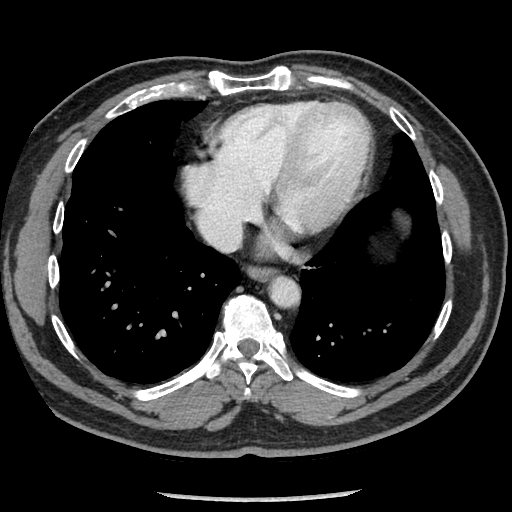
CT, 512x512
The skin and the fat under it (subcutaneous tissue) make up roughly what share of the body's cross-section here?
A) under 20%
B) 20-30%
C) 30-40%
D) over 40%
A) under 20%
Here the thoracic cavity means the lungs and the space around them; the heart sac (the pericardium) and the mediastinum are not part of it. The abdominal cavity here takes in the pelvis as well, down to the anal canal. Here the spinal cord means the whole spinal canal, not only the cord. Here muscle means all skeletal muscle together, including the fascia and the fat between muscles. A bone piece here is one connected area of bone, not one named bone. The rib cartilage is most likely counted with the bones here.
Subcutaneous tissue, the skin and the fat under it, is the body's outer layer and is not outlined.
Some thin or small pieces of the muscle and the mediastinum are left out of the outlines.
Outlines (x, y in pixels):
muscle: 292 64; 337 70; 391 97; 421 124; 436 160; 456 176; 470 221; 485 243; 489 279; 485 317; 465 355; 441 378; 410 395; 357 420; 328 426; 284 423; 254 405; 242 406; 229 424; 214 431; 156 429; 88 403; 46 379; 15 352; 2 306; 0 256; 7 232; 13 224; 20 228; 37 176; 70 126; 134 84; 184 70; 209 70; 205 83; 168 81; 130 93; 104 114; 109 121; 91 141; 79 138; 66 157; 63 170; 71 174; 69 196; 65 203; 58 200; 52 220; 61 247; 58 258; 51 252; 46 262; 48 285; 57 288; 61 316; 51 312; 49 319; 65 349; 104 375; 138 386; 130 394; 139 401; 157 399; 203 376; 212 379; 229 361; 245 378; 245 399; 252 393; 249 385; 260 363; 284 381; 296 376; 330 394; 355 398; 364 393; 359 385; 399 371; 440 336; 454 305; 452 296; 445 300; 453 242; 438 220; 443 184; 432 167; 426 171; 412 124; 393 105; 386 115; 349 80; 318 73; 300 79; 288 66
torso: 300 49; 350 53; 397 73; 457 126; 489 172; 507 227; 506 279; 498 322; 474 375; 445 406; 411 427; 365 444; 310 455; 168 455; 108 439; 60 419; 15 352; 2 306; 4 208; 33 128; 77 88; 122 64; 164 56; 245 61
bones 1: 242 294; 265 304; 273 326; 283 334; 292 369; 294 361; 363 393; 343 397; 296 375; 284 380; 260 362; 245 398; 246 378; 229 360; 212 378; 203 375; 154 399; 132 396; 132 389; 161 384; 196 364; 221 326; 223 304 with a hole at 245 339; 252 339; 253 340; 256 341; 258 343; 258 344; 259 345; 259 347; 258 348; 258 350; 249 358; 246 358; 245 357; 245 356; 239 350; 239 348; 238 347; 238 345; 239 344; 239 342; 240 341; 241 341; 242 340; 244 340
bones 2: 281 64; 287 66; 300 80; 310 74; 342 78; 352 83; 371 102; 350 90; 304 81; 303 89; 245 90; 225 96; 211 91; 205 99; 158 99; 111 120; 104 117; 130 94; 153 85; 181 81; 203 85; 213 69; 236 77; 253 77
bones 3: 51 313; 54 313; 56 314; 62 320; 69 335; 73 340; 75 345; 83 354; 86 359; 84 358; 81 358; 80 360; 77 360; 66 349; 66 348; 60 341; 58 336; 56 334; 54 330; 54 328; 52 325; 52 323; 50 319; 50 314
bones 4: 449 297; 452 297; 453 299; 453 305; 452 306; 452 310; 451 311; 450 316; 448 319; 448 321; 445 327; 443 329; 439 336; 435 340; 430 340; 428 342; 424 344; 426 339; 428 337; 432 330; 432 328; 441 310; 443 303
bones 5: 389 106; 393 106; 394 107; 395 107; 407 119; 407 120; 411 124; 411 125; 415 132; 415 134; 416 135; 416 140; 415 141; 414 141; 413 142; 411 140; 411 139; 404 132; 403 132; 389 117; 389 116; 388 115; 388 108; 389 107
bones 6: 83 137; 86 137; 88 139; 88 142; 86 145; 86 147; 84 149; 79 159; 77 161; 72 172; 71 173; 66 173; 64 170; 64 168; 65 167; 65 163; 66 162; 67 157; 71 149; 74 146; 76 142; 79 139
bones 7: 430 168; 432 168; 438 175; 443 187; 443 200; 442 201; 442 203; 437 209; 436 207; 435 199; 434 198; 433 192; 432 191; 432 188; 431 187; 431 184; 430 183; 429 177; 428 176; 428 173; 427 172
bones 8: 51 253; 54 253; 55 254; 55 255; 58 260; 58 266; 59 267; 59 282; 58 283; 58 285; 57 286; 57 287; 54 289; 51 289; 51 288; 49 285; 49 281; 48 280; 48 270; 47 269; 47 262; 48 261; 48 257
bones 9: 445 228; 447 229; 450 235; 450 238; 452 242; 452 256; 451 257; 451 260; 450 262; 446 267; 445 267; 445 265; 444 264; 444 259; 443 258; 443 255; 442 254; 442 245; 441 244; 441 231
bones 10: 61 199; 64 202; 64 212; 63 213; 63 222; 62 223; 62 227; 61 228; 61 232; 59 234; 55 234; 53 231; 53 220; 54 219; 54 216; 55 215; 55 211; 56 210; 56 207; 57 206; 57 204; 58 203; 59 200; 60 200
abdominal cavity: 396 204; 404 206; 411 212; 413 216; 413 234; 411 238; 405 245; 403 253; 399 259; 399 261; 395 265; 387 268; 381 268; 380 269; 372 268; 368 264; 362 251; 362 246; 365 236; 367 232; 374 228; 386 217; 390 208
spinal cord: 245 339; 252 339; 253 340; 256 341; 258 343; 258 344; 259 345; 259 347; 258 348; 258 350; 249 358; 246 358; 245 357; 245 356; 239 350; 239 348; 238 347; 238 345; 239 344; 239 342; 240 341; 241 341; 242 340; 244 340
pericardium: 290 89; 324 90; 352 100; 363 109; 373 123; 378 145; 378 167; 371 191; 349 210; 326 242; 310 256; 306 256; 299 267; 270 264; 233 253; 226 254; 208 245; 188 223; 186 210; 175 186; 178 166; 202 122; 228 104; 265 93
mediastinum 1: 233 254; 244 259; 270 265; 296 268; 301 266; 306 257; 311 256; 305 261; 305 267; 300 271; 301 300; 297 317; 287 337; 274 326; 266 304; 261 299; 247 293; 238 294; 227 299; 238 285; 241 277; 238 264; 234 259; 226 255
mediastinum 2: 306 88; 334 88; 355 94; 385 114; 400 130; 392 140; 393 151; 386 173; 387 179; 385 185; 369 194; 374 187; 376 174; 379 167; 379 145; 378 135; 374 123; 364 109; 352 99; 339 95; 336 92; 324 89; 304 89
mediastinum 3: 262 90; 276 91; 265 92; 228 103; 222 107; 219 107; 202 121; 187 144; 177 169; 177 160; 173 155; 173 150; 175 147; 175 140; 180 133; 181 122; 187 121; 201 112; 207 105; 207 101; 204 100; 210 96; 225 97; 245 91
mediastinum 4: 184 208; 185 210; 185 215; 187 219; 187 223; 189 225; 189 226; 193 229; 193 231; 197 235; 197 236; 199 237; 199 238; 205 244; 206 244; 204 244; 197 239; 196 239; 193 233; 191 231; 191 230; 186 225; 186 223; 184 219
thoracic cavity 1: 164 99; 206 101; 201 111; 180 122; 172 150; 176 160; 174 186; 182 203; 185 225; 194 238; 234 260; 240 277; 221 306; 220 326; 200 359; 166 381; 140 387; 104 374; 76 345; 59 308; 58 259; 72 173; 85 149; 113 119
thoracic cavity 2: 400 131; 414 144; 434 199; 446 277; 444 301; 423 345; 405 366; 390 375; 357 386; 341 384; 316 375; 300 365; 290 355; 284 336; 288 337; 298 317; 302 300; 300 276; 306 261; 327 242; 350 210; 386 185; 394 151; 393 140, around a hole outlined by 396 204; 404 206; 411 212; 413 216; 413 234; 411 238; 405 245; 403 253; 399 259; 399 261; 395 265; 387 268; 381 268; 380 269; 372 268; 368 264; 362 251; 362 246; 365 236; 367 232; 374 228; 386 217; 390 208